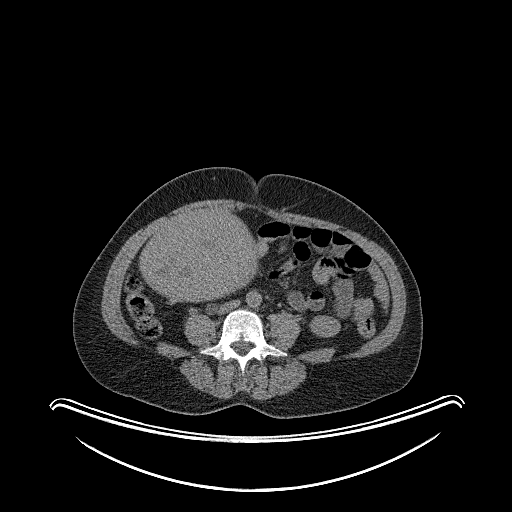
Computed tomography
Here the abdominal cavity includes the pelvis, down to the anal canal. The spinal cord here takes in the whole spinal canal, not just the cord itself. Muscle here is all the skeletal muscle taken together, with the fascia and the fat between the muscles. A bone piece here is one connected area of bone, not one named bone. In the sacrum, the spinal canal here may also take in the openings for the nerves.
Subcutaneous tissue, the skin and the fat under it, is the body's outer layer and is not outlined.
Outlined structures:
muscle: 206,199 233,199 236,201 241,201 249,204 263,205 272,209 282,210 285,212 295,213 323,220 327,220 337,224 343,225 347,228 353,230 377,243 390,255 396,264 402,278 406,292 406,309 405,310 404,319 401,329 395,340 391,345 388,346 384,350 369,356 366,356 358,359 353,359 351,361 346,361 344,363 338,362 335,364 332,363 331,364 319,364 316,365 311,373 307,376 305,381 299,387 296,388 294,391 282,396 276,396 265,400 257,400 251,398 245,393 238,393 232,397 226,399 222,399 221,398 213,399 210,397 202,395 184,379 180,372 173,367 171,362 168,359 161,356 155,356 151,355 149,353 146,353 143,349 139,349 128,345 122,340 117,338 109,330 103,320 101,314 101,299 102,298 103,285 105,281 105,278 107,275 108,270 120,248 131,235 153,220 161,216 166,215 172,210 186,203 199,200 205,200 with a hole at 202,207 253,209 284,225 344,235 389,284 385,326 353,351 294,354 298,318 272,313 263,336 287,355 253,358 243,374 232,358 200,353 221,335 205,314 183,324 191,349 146,344 122,315 125,274 158,228
bones: 239,308 255,312 262,321 265,340 269,344 286,352 287,355 274,356 269,354 261,362 253,358 246,363 244,373 242,374 238,363 234,359 230,358 219,362 214,356 200,353 201,349 218,342 224,318 229,312; inner edge: 238,341 243,341 244,342 248,342 249,343 250,343 251,344 252,344 252,347 245,354 243,354 242,355 241,354 239,354 238,353 237,353 234,350 234,349 231,346 231,345 234,342 237,342
torso: 211,166 239,168 256,179 282,173 314,181 353,201 387,232 408,263 421,297 421,353 416,370 404,387 355,408 305,417 275,418 245,405 188,415 120,395 88,373 75,348 72,315 89,268 145,197 178,175
spinal cord: 238,341 243,341 244,342 248,342 249,343 250,343 251,344 252,344 252,347 245,354 243,354 242,355 241,354 239,354 238,353 237,353 234,350 234,349 231,346 231,345 234,342 237,342
abdominal cavity: 202,207 253,209 284,225 344,235 389,284 385,326 353,351 336,355 331,346 294,354 301,330 295,315 272,313 264,325 239,307 216,331 207,315 188,316 183,332 191,349 146,344 122,315 125,274 158,228